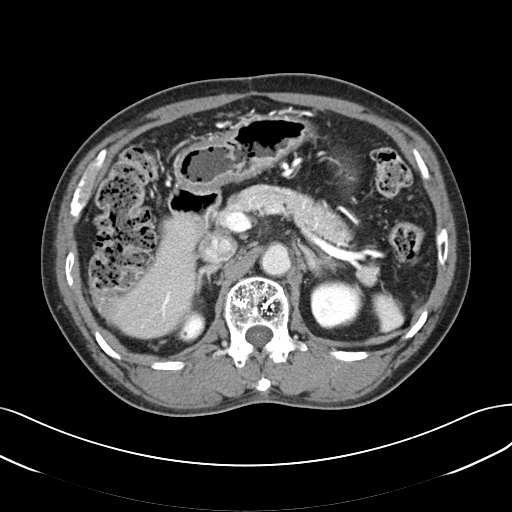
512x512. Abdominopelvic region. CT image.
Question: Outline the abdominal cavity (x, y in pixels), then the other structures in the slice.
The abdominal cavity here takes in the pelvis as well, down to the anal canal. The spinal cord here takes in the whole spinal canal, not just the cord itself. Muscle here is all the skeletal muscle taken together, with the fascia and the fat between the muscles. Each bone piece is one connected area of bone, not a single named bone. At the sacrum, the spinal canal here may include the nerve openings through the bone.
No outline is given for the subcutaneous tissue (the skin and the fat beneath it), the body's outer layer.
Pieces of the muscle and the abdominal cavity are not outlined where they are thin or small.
Answer: Outlines (x, y in pixels):
abdominal cavity: (252, 96) (361, 120) (397, 143) (435, 211) (437, 269) (427, 299) (416, 320) (389, 345) (333, 349) (311, 338) (279, 282) (251, 275) (228, 289) (222, 315) (192, 354) (179, 360) (130, 358) (115, 350) (98, 330) (78, 275) (75, 229) (92, 188) (118, 150) (138, 135)
muscle: (249, 91) (296, 92) (297, 93) (323, 95) (348, 100) (360, 104) (368, 108) (377, 115) (384, 118) (398, 121) (410, 127) (413, 130) (415, 130) (423, 137) (431, 146) (438, 160) (440, 170) (443, 176) (445, 187) (447, 191) (449, 202) (451, 205) (451, 210) (454, 217) (456, 230) (456, 262) (453, 278) (441, 307) (438, 320) (424, 343) (405, 362) (399, 365) (389, 376) (386, 377) (376, 388) (365, 395) (355, 399) (349, 399) (345, 401) (318, 402) (293, 397) (280, 392) (269, 392) (267, 394) (260, 394) (257, 392) (252, 392) (239, 397) (233, 397) (227, 400) (221, 401) (217, 405) (211, 407) (204, 407) (196, 409) (175, 409) (166, 407) (153, 403) (143, 397) (133, 393) (123, 385) (118, 383) (114, 378) (110, 376) (95, 361) (91, 355) (91, 352) (86, 345) (86, 341) (83, 335) (75, 324) (69, 310) (63, 302) (56, 279) (56, 273) (55, 272) (56, 250) (54, 245) (56, 235) (56, 226) (61, 203) (64, 195) (66, 193) (68, 184) (80, 161) (95, 145) (121, 127) (135, 119) (138, 119) (158, 107) (170, 103) (192, 98) (218, 95) (223, 93) (228, 94) (244, 93), around holes outlined by (252, 96) (367, 122) (401, 148) (433, 205) (436, 232) (447, 231) (447, 258) (437, 264) (421, 307) (428, 312) (424, 323) (410, 338) (344, 361) (311, 338) (292, 307) (288, 332) (307, 350) (290, 351) (284, 362) (250, 354) (237, 367) (227, 354) (212, 356) (230, 341) (220, 314) (199, 347) (179, 359) (181, 369) (155, 369) (122, 353) (111, 357) (94, 336) (98, 326) (78, 275) (80, 218) (69, 211) (80, 178) (104, 148) (92, 188) (138, 135) and by (414, 147) (415, 147) (419, 151) (419, 152) (422, 156) (422, 158) (424, 160) (428, 168) (428, 171) (430, 175) (428, 179) (423, 179) (421, 177) (421, 174) (420, 173) (420, 171) (417, 166) (417, 164) (416, 163) (415, 158) (412, 153) (412, 148) and by (69, 251) (73, 251) (74, 252) (74, 263) (73, 264) (73, 266) (72, 267) (72, 270) (71, 271) (71, 274) (73, 278) (73, 283) (72, 284) (72, 286) (69, 286) (68, 285) (67, 283) (67, 280) (66, 279) (66, 276) (65, 275) (65, 260) (66, 259) (67, 254) and by (262, 374) (267, 379) (268, 379) (269, 380) (269, 381) (270, 382) (270, 386) (265, 391) (259, 391) (257, 389) (256, 389) (256, 388) (255, 387) (256, 386) (256, 385) (257, 384) (257, 382) (259, 380) (259, 379) (261, 377) (261, 375)
spinal cord: (254, 326) (265, 326) (266, 327) (267, 327) (269, 329) (270, 329) (270, 330) (272, 332) (272, 336) (271, 337) (271, 338) (264, 345) (263, 345) (261, 347) (255, 347) (250, 342) (249, 342) (246, 339) (246, 333) (247, 332) (247, 331) (251, 327) (253, 327)
torso: (275, 72) (316, 73) (355, 83) (408, 111) (434, 136) (456, 178) (469, 224) (471, 271) (461, 308) (442, 341) (413, 373) (384, 396) (361, 406) (313, 409) (254, 403) (188, 417) (134, 407) (87, 369) (47, 306) (40, 247) (55, 186) (86, 138) (128, 105) (190, 81)
bones 1: (251, 276) (271, 279) (283, 287) (290, 309) (288, 332) (292, 337) (296, 336) (303, 341) (307, 350) (290, 351) (284, 362) (275, 362) (267, 354) (262, 359) (250, 354) (242, 367) (237, 367) (227, 354) (212, 356) (230, 341) (230, 333) (223, 316) (226, 294) (236, 282) with a hole at (254, 326) (265, 326) (266, 327) (267, 327) (269, 329) (270, 329) (270, 330) (272, 332) (272, 336) (271, 337) (271, 338) (264, 345) (263, 345) (261, 347) (255, 347) (250, 342) (249, 342) (246, 339) (246, 333) (247, 332) (247, 331) (251, 327) (253, 327)
bones 2: (104, 148) (107, 150) (106, 156) (101, 167) (96, 172) (95, 177) (92, 182) (92, 185) (89, 192) (87, 202) (83, 209) (80, 212) (79, 217) (76, 219) (72, 216) (69, 212) (70, 210) (70, 202) (72, 199) (73, 193) (80, 178) (88, 165) (95, 158) (97, 154)
bones 3: (442, 228) (445, 228) (446, 229) (446, 230) (447, 231) (447, 239) (448, 240) (448, 253) (447, 254) (447, 258) (445, 261) (445, 263) (444, 264) (444, 265) (441, 265) (438, 263) (438, 250) (437, 249) (437, 246) (436, 245) (436, 234) (438, 232) (439, 232)
bones 4: (332, 349) (333, 350) (335, 350) (336, 349) (337, 350) (344, 350) (345, 351) (367, 351) (369, 353) (369, 355) (367, 357) (363, 358) (362, 359) (358, 359) (357, 360) (352, 360) (351, 361) (344, 361) (343, 360) (337, 359) (332, 355) (331, 355) (329, 353) (329, 352)
bones 5: (96, 330) (97, 330) (101, 334) (101, 335) (107, 342) (107, 343) (115, 351) (116, 351) (120, 354) (121, 356) (121, 359) (116, 359) (115, 358) (113, 358) (111, 357) (109, 355) (108, 355) (100, 347) (100, 346) (98, 344) (94, 336) (94, 332)
bones 6: (161, 361) (182, 361) (183, 362) (184, 362) (185, 363) (185, 364) (184, 365) (184, 366) (181, 369) (177, 369) (176, 370) (170, 370) (169, 369) (155, 369) (154, 368) (152, 368) (151, 367) (151, 366) (150, 365) (150, 363) (151, 362) (160, 362)
bones 7: (423, 309) (426, 309) (428, 312) (427, 317) (426, 318) (424, 323) (422, 325) (422, 326) (410, 338) (408, 338) (407, 339) (403, 339) (402, 338) (402, 336) (403, 335) (404, 335) (406, 333) (406, 332) (410, 328) (410, 327) (417, 320) (417, 319) (419, 317) (419, 316)
bones 8: (414, 147) (415, 147) (419, 151) (419, 152) (422, 156) (422, 158) (424, 160) (428, 168) (428, 171) (430, 175) (428, 179) (423, 179) (421, 177) (421, 174) (420, 173) (420, 171) (417, 166) (417, 164) (416, 163) (415, 158) (412, 153) (412, 148)
bones 9: (69, 251) (73, 251) (74, 252) (74, 263) (73, 264) (73, 266) (72, 267) (72, 270) (71, 271) (71, 274) (73, 278) (73, 283) (72, 284) (72, 286) (69, 286) (68, 285) (67, 283) (67, 280) (66, 279) (66, 276) (65, 275) (65, 260) (66, 259) (67, 254)
bones 10: (262, 374) (267, 379) (268, 379) (269, 380) (269, 381) (270, 382) (270, 386) (265, 391) (259, 391) (257, 389) (256, 389) (256, 388) (255, 387) (256, 386) (256, 385) (257, 384) (257, 382) (259, 380) (259, 379) (261, 377) (261, 375)